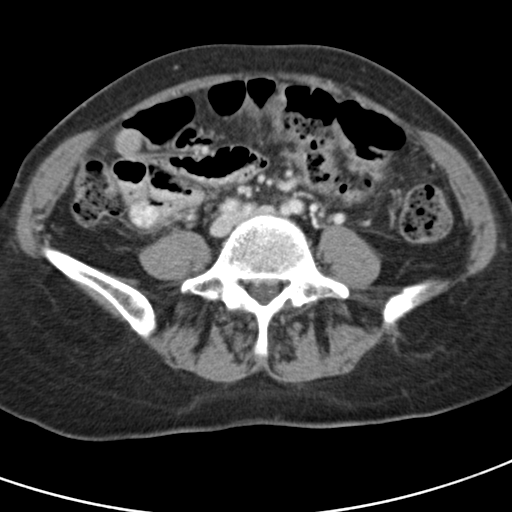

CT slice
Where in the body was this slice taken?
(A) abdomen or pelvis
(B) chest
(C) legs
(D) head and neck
Answer: (A) abdomen or pelvis
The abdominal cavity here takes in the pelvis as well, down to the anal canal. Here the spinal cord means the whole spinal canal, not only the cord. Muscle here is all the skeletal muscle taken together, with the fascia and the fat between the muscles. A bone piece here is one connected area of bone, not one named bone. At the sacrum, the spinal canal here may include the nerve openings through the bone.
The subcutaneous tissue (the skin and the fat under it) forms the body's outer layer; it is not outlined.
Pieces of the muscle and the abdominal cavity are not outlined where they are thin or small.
The abdominal cavity is outlined by [[254,76],[349,96],[418,136],[461,212],[468,243],[457,267],[373,286],[380,255],[353,229],[326,225],[313,255],[295,221],[269,213],[237,224],[213,262],[195,231],[174,228],[145,245],[139,263],[159,285],[58,248],[46,219],[100,137],[156,102]]. The muscle appears in 3 outlined pieces: piece 1: [[329,225],[353,230],[379,255],[373,287],[402,287],[381,310],[386,329],[401,319],[396,333],[341,375],[284,383],[259,370],[224,383],[174,369],[136,335],[147,339],[157,327],[149,299],[105,272],[162,285],[140,263],[140,250],[174,229],[199,234],[212,249],[212,263],[185,278],[179,291],[219,300],[230,312],[251,314],[257,329],[253,353],[266,358],[268,330],[277,313],[350,296],[348,286],[322,272],[314,256]]; piece 2: [[254,70],[296,72],[331,79],[452,144],[481,181],[495,214],[498,246],[488,264],[416,307],[436,282],[429,278],[443,277],[453,272],[466,256],[469,239],[447,175],[418,135],[384,113],[349,95],[268,75],[218,81],[195,91],[156,101],[124,118],[86,150],[45,219],[46,230],[57,247],[44,245],[40,250],[54,267],[18,248],[12,236],[14,219],[26,187],[38,165],[63,140],[97,127],[150,95],[186,80]]; piece 3: [[66,277],[73,281],[75,281],[94,290],[97,293],[101,295],[115,308],[120,315],[128,323],[129,326],[133,330],[133,331],[131,331],[124,323],[117,320],[115,318],[112,317],[109,313],[104,311],[101,307],[96,304],[80,289],[76,287],[74,284]]. The torso is outlined by [[225,42],[315,43],[358,53],[392,70],[419,89],[455,120],[472,139],[511,197],[511,387],[485,400],[447,412],[381,424],[335,428],[261,424],[102,442],[61,436],[0,409],[0,201],[9,190],[23,157],[67,113],[134,67],[184,47]]. The bones appear in 3 outlined pieces: piece 1: [[258,214],[295,222],[310,243],[317,268],[349,290],[344,299],[325,297],[297,308],[286,306],[277,312],[267,330],[266,357],[254,353],[258,329],[251,313],[230,311],[219,299],[209,300],[180,291],[185,279],[203,273],[213,264],[222,243],[237,225]]; inner edge: [[240,281],[243,281],[246,283],[250,282],[255,286],[257,286],[264,281],[267,284],[270,284],[271,283],[269,282],[272,281],[288,281],[288,284],[283,286],[279,293],[274,296],[266,304],[261,304],[255,298],[252,297],[249,294],[247,289],[239,282]]; piece 2: [[44,246],[57,248],[86,264],[92,266],[139,290],[148,299],[154,310],[156,319],[156,327],[154,331],[147,338],[141,337],[134,331],[129,323],[121,315],[116,308],[101,294],[94,289],[66,276],[48,261],[43,255],[41,250],[42,247]]; piece 3: [[427,279],[433,280],[435,282],[426,290],[420,303],[413,309],[406,313],[393,325],[390,325],[388,328],[386,328],[383,325],[383,323],[382,322],[382,310],[384,307],[384,304],[387,299],[391,295],[398,293],[404,286],[407,286],[411,284],[421,282]]. The spinal cord is outlined by [[240,281],[243,281],[246,283],[250,282],[255,286],[257,286],[264,281],[267,284],[270,284],[271,283],[269,282],[272,281],[288,281],[288,284],[283,286],[279,293],[274,296],[266,304],[261,304],[255,298],[252,297],[249,294],[247,289],[239,282]].